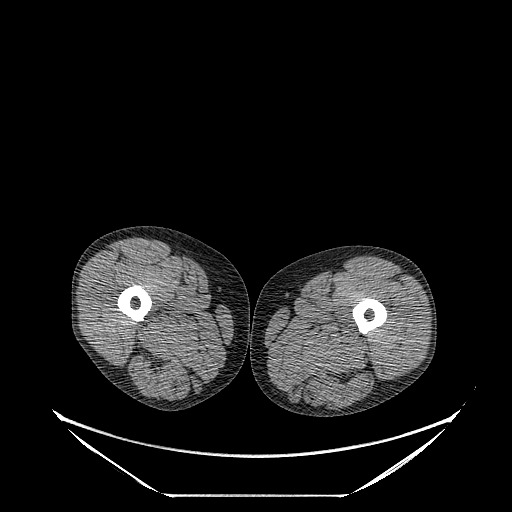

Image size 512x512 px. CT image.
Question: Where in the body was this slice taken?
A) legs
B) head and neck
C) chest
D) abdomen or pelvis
Answer: A) legs
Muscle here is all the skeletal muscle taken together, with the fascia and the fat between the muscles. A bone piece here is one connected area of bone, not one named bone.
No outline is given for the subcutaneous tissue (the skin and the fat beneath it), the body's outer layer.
Outlines (x, y in pixels):
bones 1: (133, 283) (142, 285) (148, 292) (152, 300) (152, 304) (151, 305) (151, 307) (148, 312) (144, 316) (143, 320) (142, 321) (138, 321) (137, 322) (133, 321) (127, 315) (124, 314) (121, 311) (118, 310) (116, 308) (117, 306) (117, 298) (120, 292) (123, 289) (131, 285)
bones 2: (364, 297) (371, 297) (372, 298) (377, 299) (385, 306) (386, 310) (387, 311) (387, 317) (384, 323) (382, 325) (377, 327) (375, 329) (369, 331) (367, 333) (367, 334) (362, 334) (359, 331) (358, 327) (352, 316) (352, 308) (353, 306) (359, 300) (360, 300)
muscle 1: (361, 255) (373, 255) (389, 260) (412, 274) (421, 284) (428, 298) (431, 311) (431, 338) (426, 356) (411, 372) (385, 385) (376, 393) (344, 409) (315, 409) (290, 403) (277, 391) (270, 382) (267, 374) (264, 335) (268, 321) (271, 315) (313, 276) (349, 258), around a hole outlined by (364, 297) (371, 297) (372, 298) (377, 299) (385, 306) (386, 310) (387, 311) (387, 317) (384, 323) (382, 325) (377, 327) (375, 329) (369, 331) (367, 333) (367, 334) (362, 334) (359, 331) (358, 327) (352, 316) (352, 308) (353, 306) (359, 300) (360, 300)
muscle 2: (128, 237) (157, 239) (167, 243) (192, 258) (203, 267) (220, 288) (233, 315) (233, 340) (224, 367) (202, 393) (186, 400) (155, 400) (143, 396) (94, 350) (80, 332) (78, 326) (78, 310) (76, 303) (76, 290) (80, 270) (89, 258) (97, 251) (102, 249) (106, 244) with a hole at (133, 283) (142, 285) (148, 292) (152, 300) (152, 304) (151, 305) (151, 307) (148, 312) (144, 316) (143, 320) (142, 321) (138, 321) (137, 322) (133, 321) (127, 315) (124, 314) (121, 311) (118, 310) (116, 308) (117, 306) (117, 298) (120, 292) (123, 289) (131, 285)
right leg: (137, 225) (171, 228) (186, 233) (211, 246) (222, 253) (234, 265) (247, 290) (251, 324) (248, 349) (243, 364) (228, 385) (206, 400) (189, 408) (176, 411) (159, 410) (132, 398) (112, 384) (99, 371) (80, 346) (72, 331) (71, 280) (79, 257) (91, 242) (103, 234)
left leg: (344, 245) (371, 245) (387, 248) (406, 256) (419, 267) (429, 284) (436, 308) (437, 338) (435, 352) (428, 367) (412, 384) (376, 406) (352, 414) (330, 417) (294, 413) (271, 401) (262, 392) (254, 379) (250, 365) (249, 337) (255, 304) (264, 284) (282, 267) (307, 255)